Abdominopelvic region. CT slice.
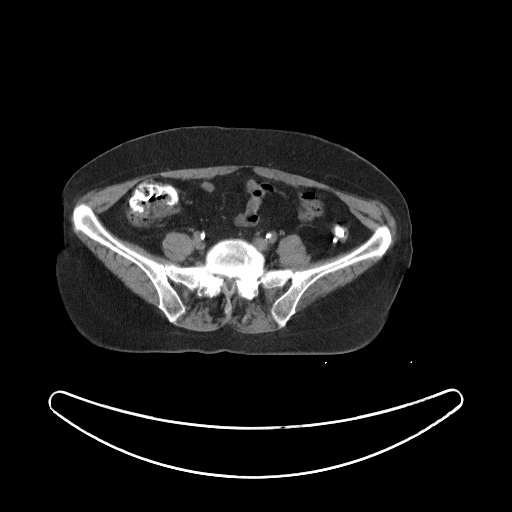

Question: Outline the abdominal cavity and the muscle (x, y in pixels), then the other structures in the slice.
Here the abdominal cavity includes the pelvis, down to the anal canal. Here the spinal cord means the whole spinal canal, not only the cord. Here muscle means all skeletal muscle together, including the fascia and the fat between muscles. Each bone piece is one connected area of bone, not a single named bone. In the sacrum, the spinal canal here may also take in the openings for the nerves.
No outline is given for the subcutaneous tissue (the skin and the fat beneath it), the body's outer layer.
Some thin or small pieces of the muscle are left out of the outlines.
Answer: The abdominal cavity is outlined by (244, 168) (326, 190) (343, 201) (371, 234) (336, 255) (312, 261) (301, 238) (290, 233) (275, 249) (279, 268) (266, 268) (264, 254) (238, 237) (215, 242) (202, 263) (182, 265) (195, 247) (185, 232) (165, 234) (163, 256) (118, 237) (100, 218) (148, 177) (212, 178). The muscle appears in 5 outlined pieces: piece 1: (242, 164) (279, 169) (365, 199) (380, 201) (390, 210) (397, 223) (398, 237) (386, 253) (392, 242) (390, 228) (384, 223) (380, 224) (371, 233) (343, 200) (326, 189) (293, 185) (245, 167) (212, 177) (182, 179) (148, 176) (138, 181) (105, 210) (99, 216) (101, 222) (92, 208) (83, 201) (73, 206) (73, 207) (71, 210) (71, 211) (71, 220) (74, 230) (76, 232) (81, 232) (133, 263) (147, 276) (158, 297) (157, 307) (166, 319) (110, 271) (72, 230) (70, 221) (70, 212) (72, 204) (89, 190) (154, 172); piece 2: (289, 282) (270, 308) (278, 330) (250, 334) (238, 332) (228, 325) (212, 331) (195, 331) (174, 325) (186, 307) (172, 283) (195, 291) (198, 297) (213, 298) (222, 294) (226, 300) (224, 313) (229, 316) (233, 295) (252, 300) (259, 294) (260, 286) (265, 290) (282, 288); piece 3: (374, 258) (377, 259) (381, 258) (356, 278) (343, 286) (338, 287) (336, 289) (328, 293) (325, 296) (320, 297) (300, 312) (296, 317) (289, 321) (291, 317) (296, 313) (296, 308) (302, 295) (305, 291) (317, 280) (330, 273) (343, 269) (355, 263) (368, 259) (373, 259); piece 4: (106, 228) (118, 238) (136, 244) (151, 254) (158, 256) (163, 257) (165, 255) (162, 248) (162, 241) (166, 234) (171, 231) (181, 232) (188, 235) (191, 238) (194, 247) (193, 251) (185, 259) (185, 264) (182, 263) (180, 265) (172, 262) (161, 263) (128, 247) (114, 237); piece 5: (290, 234) (295, 234) (300, 238) (305, 248) (305, 250) (310, 256) (310, 260) (312, 262) (330, 258) (353, 249) (349, 252) (331, 261) (328, 261) (322, 264) (309, 267) (305, 269) (293, 270) (291, 268) (280, 268) (278, 265) (278, 255) (276, 253) (276, 249) (280, 240). The torso is outlined by (192, 125) (271, 127) (312, 133) (338, 142) (368, 159) (398, 186) (408, 204) (412, 225) (411, 264) (387, 323) (371, 343) (356, 351) (339, 354) (132, 353) (98, 347) (75, 329) (60, 300) (54, 275) (56, 254) (62, 244) (61, 193) (65, 183) (86, 162) (126, 140). The bones are outlined by (81, 202) (91, 208) (114, 238) (161, 264) (202, 264) (215, 243) (238, 238) (263, 254) (266, 269) (297, 271) (349, 253) (380, 225) (389, 228) (391, 242) (381, 257) (355, 262) (317, 279) (301, 295) (295, 313) (281, 328) (271, 308) (289, 281) (282, 287) (265, 289) (260, 285) (252, 299) (233, 294) (229, 315) (222, 293) (198, 296) (195, 290) (172, 282) (185, 307) (173, 324) (158, 307) (153, 283) (136, 264) (75, 230) (72, 210) with a hole at (225, 277) (226, 277) (227, 278) (228, 278) (229, 279) (231, 279) (232, 278) (233, 278) (234, 279) (234, 282) (233, 283) (233, 284) (230, 287) (228, 287) (226, 285) (226, 284) (225, 283) (225, 279) (224, 278). The spinal cord is outlined by (225, 277) (226, 277) (227, 278) (228, 278) (229, 279) (231, 279) (232, 278) (233, 278) (234, 279) (234, 282) (233, 283) (233, 284) (230, 287) (228, 287) (226, 285) (226, 284) (225, 283) (225, 279) (224, 278).